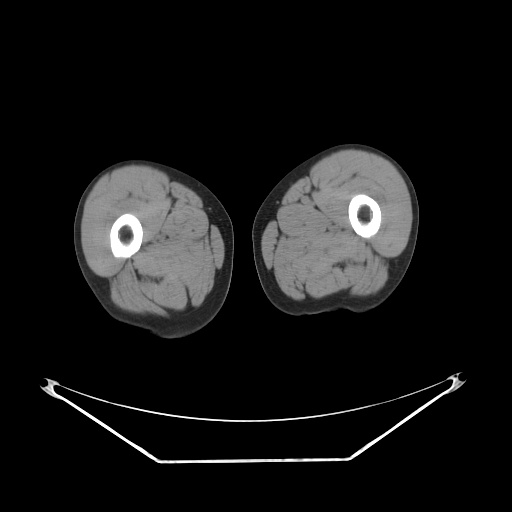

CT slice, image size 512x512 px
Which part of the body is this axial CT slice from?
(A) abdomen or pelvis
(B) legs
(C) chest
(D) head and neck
(B) legs
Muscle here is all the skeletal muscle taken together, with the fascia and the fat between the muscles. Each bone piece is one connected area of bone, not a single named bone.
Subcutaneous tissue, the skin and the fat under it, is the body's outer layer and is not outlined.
Outlines (x, y in pixels):
muscle 1: [[349,148],[369,151],[385,158],[402,176],[407,186],[412,206],[412,224],[409,239],[404,250],[393,263],[384,286],[377,293],[363,297],[347,295],[296,301],[281,291],[265,266],[261,252],[261,236],[264,223],[275,200],[296,175],[309,168],[324,156]], around a hole outlined by [[357,193],[364,193],[372,197],[375,200],[376,200],[378,203],[380,207],[380,210],[381,211],[381,222],[380,223],[380,226],[377,232],[368,238],[362,237],[357,234],[352,228],[350,224],[349,219],[348,218],[348,204],[349,203],[349,201],[351,197]]
muscle 2: [[131,164],[142,164],[157,168],[190,187],[207,200],[215,213],[220,227],[224,243],[224,259],[218,282],[204,304],[184,316],[162,319],[121,310],[111,301],[110,294],[103,281],[90,269],[83,254],[81,246],[81,219],[88,194],[104,174],[118,167]], around a hole outlined by [[127,212],[135,215],[140,221],[143,229],[142,242],[139,249],[130,257],[128,257],[127,258],[115,257],[113,255],[110,248],[110,240],[109,239],[109,232],[110,231],[110,228],[112,223],[117,217],[118,217],[121,214],[123,213],[126,213]]
bones 1: [[127,212],[135,215],[140,221],[143,229],[142,242],[139,249],[130,257],[128,257],[127,258],[115,257],[113,255],[110,248],[110,240],[109,239],[109,232],[110,231],[110,228],[112,223],[117,217],[118,217],[121,214],[123,213],[126,213]]
bones 2: [[357,193],[364,193],[372,197],[375,200],[376,200],[378,203],[380,207],[380,210],[381,211],[381,222],[380,223],[380,226],[377,232],[368,238],[362,237],[357,234],[352,228],[350,224],[349,219],[348,218],[348,204],[349,203],[349,201],[351,197]]
right leg: [[132,158],[157,161],[193,176],[215,194],[232,222],[234,236],[233,269],[227,296],[216,316],[202,329],[186,337],[174,339],[158,338],[147,331],[128,326],[113,319],[91,291],[76,259],[73,243],[73,223],[82,192],[91,179],[102,169],[115,162]]
left leg: [[342,143],[362,143],[378,148],[394,158],[410,177],[419,205],[419,225],[414,252],[409,266],[398,286],[383,303],[369,312],[356,314],[339,310],[328,313],[292,316],[274,307],[261,287],[253,257],[251,237],[253,220],[264,198],[286,173],[319,151]]